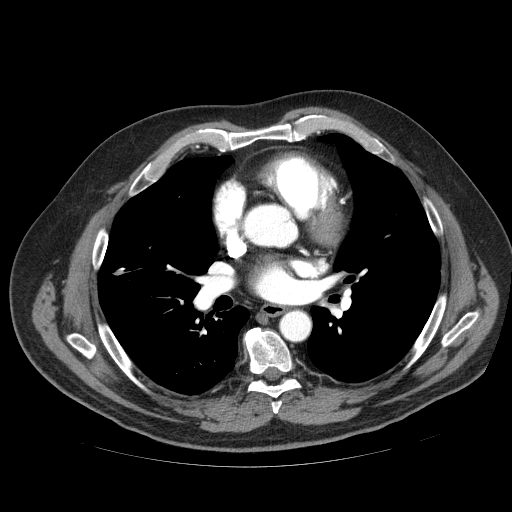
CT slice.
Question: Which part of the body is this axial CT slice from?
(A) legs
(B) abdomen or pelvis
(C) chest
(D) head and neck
Answer: (C) chest
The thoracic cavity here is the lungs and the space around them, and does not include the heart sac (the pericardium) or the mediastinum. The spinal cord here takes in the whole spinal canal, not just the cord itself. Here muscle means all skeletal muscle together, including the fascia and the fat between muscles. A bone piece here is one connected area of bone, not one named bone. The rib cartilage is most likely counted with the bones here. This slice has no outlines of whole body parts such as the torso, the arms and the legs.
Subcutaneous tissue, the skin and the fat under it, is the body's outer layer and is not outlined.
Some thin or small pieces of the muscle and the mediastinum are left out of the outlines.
The thoracic cavity appears in 2 outlined pieces: piece 1: (223, 155) (233, 158) (233, 163) (217, 178) (211, 201) (218, 244) (214, 282) (232, 307) (249, 311) (238, 334) (245, 352) (240, 366) (225, 379) (200, 394) (184, 395) (151, 380) (126, 353) (100, 305) (97, 274) (112, 222) (127, 199) (155, 183) (171, 163) (187, 157); piece 2: (330, 133) (350, 137) (401, 170) (421, 202) (440, 250) (439, 289) (421, 331) (398, 363) (360, 382) (337, 380) (309, 368) (299, 358) (307, 354) (313, 329) (311, 307) (319, 305) (332, 291) (336, 278) (334, 260) (353, 214) (353, 193) (337, 148) (332, 142) (319, 140). The bones appear in 8 outlined pieces: piece 1: (310, 114) (324, 114) (353, 123) (383, 144) (395, 158) (397, 166) (366, 150) (350, 136) (333, 129) (318, 130) (297, 141) (258, 139) (226, 151) (208, 144) (194, 143) (182, 149) (155, 182) (127, 198) (131, 184) (148, 162) (188, 132) (207, 127) (241, 132) (292, 122); piece 2: (255, 326) (273, 330) (281, 337) (291, 354) (298, 358) (296, 361) (304, 377) (301, 388) (290, 389) (280, 394) (278, 398) (281, 404) (276, 413) (272, 410) (273, 398) (271, 396) (263, 392) (245, 390) (249, 381) (244, 370) (248, 354) (245, 353) (242, 337) (248, 329); inner edge: (269, 367) (274, 367) (275, 368) (276, 368) (281, 373) (281, 377) (279, 379) (279, 380) (278, 380) (277, 381) (276, 381) (275, 382) (272, 382) (271, 381) (268, 381) (266, 379) (265, 379) (265, 378) (264, 377) (264, 376) (263, 375) (264, 374) (264, 372); piece 3: (441, 292) (446, 292) (447, 294) (447, 299) (446, 300) (445, 309) (442, 318) (440, 321) (440, 323) (437, 328) (437, 330) (423, 353) (406, 371) (403, 372) (402, 371) (402, 368) (406, 362) (406, 361) (403, 359) (422, 331) (432, 311) (434, 304) (437, 299) (438, 294); piece 4: (97, 317) (98, 317) (98, 319) (101, 322) (106, 322) (107, 323) (111, 331) (125, 353) (140, 371) (140, 372) (137, 372) (137, 371) (135, 370) (134, 373) (151, 391) (151, 393) (147, 393) (137, 386) (121, 370) (111, 357) (100, 338) (97, 329) (97, 326) (96, 325); piece 5: (474, 310) (479, 310) (480, 312) (477, 319) (474, 322) (474, 323) (469, 328) (464, 330) (451, 343) (450, 343) (447, 346) (443, 347) (441, 345) (440, 341) (442, 337) (444, 335) (444, 334) (445, 334) (446, 332) (447, 332) (465, 313) (469, 312) (470, 311) (473, 311); piece 6: (101, 227) (104, 227) (108, 232) (108, 239) (107, 240) (107, 245) (106, 246) (105, 253) (104, 254) (104, 256) (103, 257) (101, 265) (99, 269) (97, 271) (95, 271) (93, 268) (93, 265) (92, 264) (92, 252) (93, 251) (94, 241) (95, 240) (97, 232); piece 7: (73, 332) (76, 332) (77, 333) (79, 333) (83, 335) (90, 342) (91, 342) (95, 345) (95, 347) (96, 348) (96, 351) (92, 358) (88, 358) (86, 357) (75, 348) (71, 346) (67, 342) (65, 338) (66, 335) (70, 333) (72, 333); piece 8: (423, 196) (426, 196) (431, 200) (438, 212) (438, 214) (441, 220) (442, 227) (443, 228) (443, 234) (442, 236) (437, 237) (433, 233) (432, 231) (432, 229) (429, 223) (429, 221) (428, 220) (426, 212) (424, 209) (424, 207) (421, 201) (422, 200) (422, 197). The pericardium is outlined by (270, 146) (299, 146) (326, 158) (340, 167) (345, 174) (347, 186) (351, 190) (351, 217) (347, 231) (331, 264) (332, 275) (319, 297) (302, 305) (250, 299) (237, 290) (221, 274) (223, 260) (220, 255) (221, 248) (212, 219) (212, 201) (215, 189) (231, 176) (246, 157). The muscle is outlined by (306, 106) (351, 115) (431, 180) (499, 292) (495, 322) (478, 349) (441, 380) (350, 419) (304, 425) (274, 417) (246, 432) (210, 432) (147, 415) (87, 385) (46, 346) (33, 324) (32, 304) (44, 278) (74, 248) (110, 186) (176, 131) (222, 119) (254, 128) (207, 126) (179, 136) (134, 178) (109, 231) (101, 226) (96, 232) (91, 264) (105, 321) (97, 316) (95, 325) (120, 370) (147, 394) (152, 391) (136, 371) (167, 390) (197, 396) (229, 377) (247, 354) (244, 390) (271, 397) (276, 414) (281, 394) (303, 387) (297, 359) (337, 381) (360, 383) (402, 360) (404, 373) (424, 353) (448, 299) (446, 291) (439, 292) (438, 238) (444, 234) (439, 212) (429, 197) (420, 199) (384, 144) (353, 122) (310, 113) (273, 123); inner edges: (474, 310) (479, 310) (480, 312) (477, 319) (474, 322) (474, 323) (469, 328) (464, 330) (451, 343) (450, 343) (447, 346) (443, 347) (441, 345) (440, 341) (442, 337) (444, 335) (444, 334) (445, 334) (446, 332) (447, 332) (465, 313) (469, 312) (470, 311) (473, 311), then (73, 332) (76, 332) (77, 333) (79, 333) (83, 335) (90, 342) (91, 342) (95, 345) (95, 347) (96, 348) (96, 351) (92, 358) (88, 358) (86, 357) (75, 348) (71, 346) (67, 342) (65, 338) (66, 335) (70, 333) (72, 333). The mediastinum appears in 2 outlined pieces: piece 1: (219, 244) (220, 274) (250, 300) (302, 306) (317, 300) (333, 272) (335, 274) (331, 291) (319, 304) (310, 307) (312, 329) (307, 339) (306, 354) (294, 356) (275, 330) (258, 325) (248, 328) (239, 339) (250, 311) (243, 305) (232, 306) (230, 297) (218, 289) (215, 267); piece 2: (324, 130) (339, 132) (321, 135) (318, 140) (334, 144) (349, 186) (340, 166) (299, 145) (262, 147) (246, 156) (230, 176) (216, 186) (218, 178) (234, 163) (234, 158) (230, 155) (187, 156) (172, 163) (182, 150) (194, 144) (204, 144) (226, 152) (258, 140) (297, 142). The spinal cord is outlined by (269, 367) (274, 367) (275, 368) (276, 368) (281, 373) (281, 377) (279, 379) (279, 380) (278, 380) (277, 381) (276, 381) (275, 382) (272, 382) (271, 381) (268, 381) (266, 379) (265, 379) (265, 378) (264, 377) (264, 376) (263, 375) (264, 374) (264, 372).